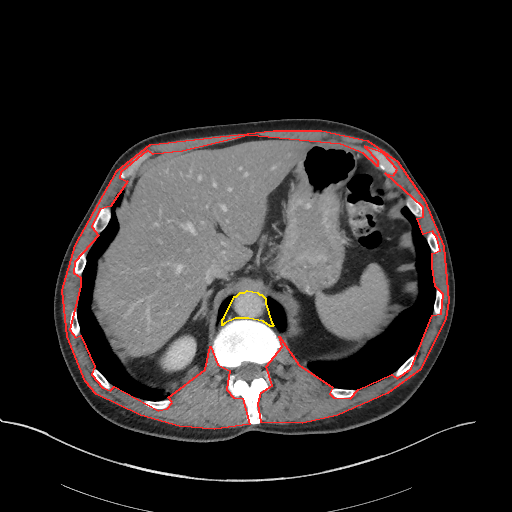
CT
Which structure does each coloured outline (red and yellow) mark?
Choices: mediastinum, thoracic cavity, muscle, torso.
red: muscle; yellow: mediastinum.
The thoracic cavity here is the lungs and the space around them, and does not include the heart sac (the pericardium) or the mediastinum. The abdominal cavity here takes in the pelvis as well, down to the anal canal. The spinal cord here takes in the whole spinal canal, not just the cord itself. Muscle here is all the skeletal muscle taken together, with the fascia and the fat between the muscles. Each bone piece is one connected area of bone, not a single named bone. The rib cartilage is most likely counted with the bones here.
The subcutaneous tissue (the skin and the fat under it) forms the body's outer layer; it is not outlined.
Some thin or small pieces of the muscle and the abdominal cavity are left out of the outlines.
The muscle is outlined by [[273,130],[321,130],[367,140],[397,161],[424,200],[443,246],[448,301],[445,318],[420,369],[387,393],[337,415],[302,423],[261,422],[258,403],[261,392],[272,385],[266,366],[282,346],[279,336],[298,364],[332,387],[329,393],[333,397],[350,398],[358,389],[391,374],[397,378],[411,368],[432,315],[441,313],[443,294],[435,286],[432,266],[432,253],[440,250],[437,238],[432,231],[423,234],[417,218],[423,216],[423,207],[385,173],[393,175],[397,169],[383,153],[364,146],[377,160],[377,166],[363,153],[340,144],[248,135],[182,151],[153,154],[147,150],[120,172],[119,177],[127,181],[110,206],[99,209],[91,226],[98,235],[74,262],[73,272],[80,277],[80,286],[69,329],[75,337],[80,335],[94,366],[91,374],[102,387],[110,390],[114,386],[158,410],[167,408],[172,402],[168,397],[205,369],[210,346],[217,364],[229,370],[226,389],[233,397],[242,398],[249,424],[214,429],[179,426],[140,415],[96,394],[85,381],[67,336],[62,290],[75,245],[117,170],[150,144]]. The mediastinum is outlined by [[247,290],[257,292],[259,294],[261,294],[265,298],[265,303],[271,322],[273,325],[272,326],[270,326],[263,321],[248,318],[235,318],[224,323],[222,325],[222,319],[224,317],[234,296],[236,296],[240,292],[244,292]]. The spinal cord is outlined by [[243,362],[250,362],[251,363],[255,363],[256,364],[258,364],[260,365],[261,366],[261,370],[260,371],[259,376],[253,378],[250,381],[247,381],[244,379],[242,379],[241,378],[239,378],[237,377],[235,373],[235,369],[237,367],[239,367],[242,364]]. The bones appear in 13 outlined pieces: piece 1: [[235,319],[257,320],[267,324],[275,331],[281,345],[275,357],[265,366],[271,378],[271,385],[268,390],[259,394],[257,408],[262,419],[257,424],[248,422],[247,407],[243,398],[233,396],[228,391],[227,376],[230,370],[218,364],[212,349],[219,329]] with a hole at [[243,362],[250,362],[251,363],[255,363],[256,364],[258,364],[260,365],[261,366],[261,370],[260,371],[259,376],[253,378],[250,381],[247,381],[244,379],[242,379],[241,378],[239,378],[237,377],[235,373],[235,369],[237,367],[239,367],[242,364]]; piece 2: [[103,206],[106,206],[107,207],[110,207],[110,211],[111,212],[111,217],[110,218],[110,220],[107,224],[107,225],[99,233],[98,233],[97,232],[95,232],[93,230],[93,229],[92,228],[92,226],[93,225],[93,223],[94,222],[100,209]]; piece 3: [[366,145],[370,148],[373,148],[374,149],[378,150],[382,154],[383,154],[394,165],[396,169],[395,173],[393,174],[390,174],[386,171],[384,171],[380,169],[379,167],[379,162],[378,160],[376,158],[374,154],[371,151],[371,150],[369,148],[365,146]]; piece 4: [[147,151],[152,151],[152,154],[147,158],[146,158],[142,162],[141,162],[127,178],[125,178],[124,179],[121,178],[120,177],[120,174],[121,172],[123,171],[131,163],[131,162],[134,159],[134,158],[139,154],[141,153],[143,153],[144,152],[146,152]]; piece 5: [[408,196],[412,196],[413,197],[414,197],[420,203],[420,204],[421,205],[421,206],[422,207],[422,209],[423,210],[423,214],[422,215],[422,216],[421,216],[420,217],[416,217],[412,213],[412,212],[408,208],[408,207],[407,206],[407,197]]; piece 6: [[331,388],[341,388],[342,389],[355,389],[356,390],[356,393],[353,396],[351,396],[350,397],[346,397],[345,398],[338,398],[337,397],[335,397],[334,396],[333,396],[330,393],[330,389]]; piece 7: [[82,251],[84,251],[86,253],[87,253],[86,254],[86,262],[85,263],[84,268],[80,276],[79,275],[76,275],[75,274],[74,272],[74,266],[75,265],[75,262],[76,261],[76,259],[79,253]]; piece 8: [[414,353],[416,356],[415,357],[415,360],[414,361],[414,362],[413,363],[413,364],[410,367],[410,368],[408,370],[407,370],[404,373],[403,373],[401,375],[400,375],[397,377],[396,377],[395,376],[394,376],[393,375],[393,373],[412,354],[413,354]]; piece 9: [[73,309],[76,309],[76,312],[77,313],[77,319],[78,320],[78,323],[79,324],[79,332],[80,333],[80,334],[77,336],[75,336],[72,333],[72,332],[70,329],[70,316],[71,315],[71,312]]; piece 10: [[164,399],[169,399],[171,401],[171,402],[167,407],[166,407],[165,408],[162,408],[161,409],[158,409],[157,408],[152,408],[151,407],[149,407],[148,406],[145,405],[143,402],[143,401],[144,400],[150,400],[151,401],[159,401],[160,400],[163,400]]; piece 11: [[94,367],[95,368],[96,368],[104,376],[104,377],[112,385],[112,387],[110,389],[106,389],[103,386],[102,386],[95,379],[95,378],[93,376],[93,375],[92,374],[92,369]]; piece 12: [[437,288],[438,288],[439,289],[440,289],[440,290],[441,291],[441,293],[442,294],[442,307],[441,308],[441,310],[440,311],[440,313],[438,315],[436,315],[433,313],[433,305],[434,304],[434,301],[435,300],[435,295],[436,294],[436,289]]; piece 13: [[429,232],[432,232],[434,234],[434,235],[436,238],[436,240],[437,241],[437,243],[438,244],[438,248],[439,249],[439,250],[437,253],[433,253],[431,251],[431,249],[429,246],[429,244],[428,243],[428,242],[426,239],[426,237],[425,236]]. The abdominal cavity is outlined by [[248,136],[344,146],[389,176],[406,196],[419,293],[355,356],[306,367],[272,327],[286,325],[275,300],[251,289],[230,295],[218,309],[221,326],[204,369],[167,396],[132,379],[111,351],[90,308],[97,260],[118,231],[121,190],[141,163]]. The thoracic cavity appears in 4 outlined pieces: piece 1: [[405,207],[416,218],[431,252],[435,294],[429,323],[414,352],[392,373],[372,384],[357,389],[333,387],[321,380],[307,366],[315,362],[340,363],[355,357],[369,342],[383,334],[396,318],[418,299],[420,288],[416,267],[417,253],[412,225],[403,213]]; piece 2: [[120,191],[122,197],[115,208],[117,231],[96,260],[89,308],[110,351],[123,370],[138,384],[157,390],[166,396],[167,398],[159,400],[143,399],[113,385],[95,367],[80,332],[77,308],[81,276],[87,262],[87,254],[99,234],[110,222],[111,204]]; piece 3: [[267,298],[270,298],[275,301],[282,308],[283,310],[284,318],[285,319],[285,325],[283,329],[281,330],[278,329],[273,324],[272,322],[272,320],[271,319],[271,317],[270,316],[270,314],[269,313],[269,311],[267,307],[267,304],[266,303],[266,299]]; piece 4: [[230,296],[231,297],[232,297],[232,299],[231,300],[231,301],[230,302],[230,303],[229,304],[223,317],[222,317],[220,319],[219,319],[218,318],[218,312],[219,311],[219,309],[220,308],[222,303],[224,301],[224,300],[225,300],[228,297],[229,297]]. The torso is outlined by [[281,118],[328,119],[379,136],[396,149],[429,198],[447,239],[455,278],[453,317],[435,363],[398,409],[340,432],[248,431],[222,441],[186,442],[144,435],[112,423],[90,406],[76,386],[54,325],[56,279],[75,230],[113,163],[134,143],[176,129]].